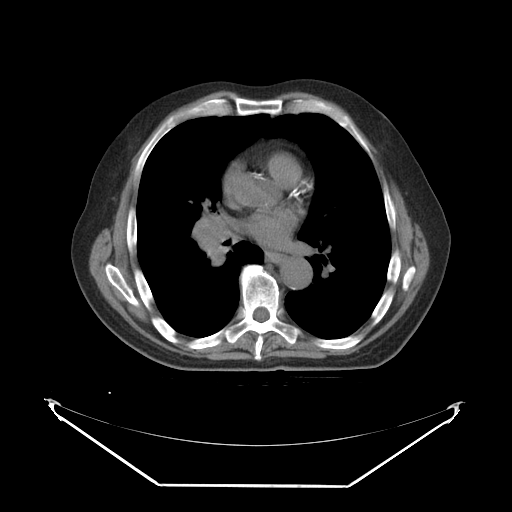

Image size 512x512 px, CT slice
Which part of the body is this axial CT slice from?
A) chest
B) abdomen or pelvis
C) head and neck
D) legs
Answer: A) chest
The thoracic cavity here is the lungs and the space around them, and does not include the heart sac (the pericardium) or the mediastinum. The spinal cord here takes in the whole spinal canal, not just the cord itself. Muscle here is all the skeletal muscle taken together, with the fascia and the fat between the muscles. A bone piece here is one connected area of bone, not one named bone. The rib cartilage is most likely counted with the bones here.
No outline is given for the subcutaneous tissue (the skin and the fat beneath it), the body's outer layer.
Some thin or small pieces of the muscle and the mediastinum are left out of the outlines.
The torso is outlined by 292,78 323,79 359,93 390,119 407,142 443,209 451,234 448,262 435,299 400,351 373,368 196,371 153,361 125,344 100,321 74,275 72,232 84,208 94,170 126,123 149,102 170,91 210,80 269,84. The bones appear in 11 outlined pieces: piece 1: 246,264 260,264 275,278 285,317 300,328 302,334 291,344 272,330 265,332 260,360 254,358 258,335 252,330 246,331 233,343 224,338 217,345 189,348 186,345 189,341 217,332 235,315 241,302 239,275, around a hole outlined by 259,307 262,307 263,308 265,308 267,310 267,311 268,312 268,318 267,319 266,319 265,320 264,320 263,321 258,321 257,320 256,320 253,317 253,314 254,313 254,311 257,308 258,308; piece 2: 233,95 255,100 281,99 284,104 294,99 315,99 330,104 348,116 373,158 370,158 348,131 323,113 206,115 180,122 157,142 145,161 138,186 134,180 137,161 164,121 171,115 208,99 226,98 230,100; piece 3: 107,263 110,263 112,264 119,270 122,276 124,278 126,283 132,290 132,292 134,296 138,301 139,303 139,305 138,306 136,306 127,301 127,300 119,291 119,290 112,285 108,280 108,278 105,272 105,266; piece 4: 352,334 354,334 355,335 356,334 362,334 363,335 363,338 355,345 348,348 345,348 344,349 322,348 316,345 313,342 313,339 316,337 317,338 321,338 322,339 339,339 340,338 343,338 344,337 349,336; piece 5: 136,268 139,268 141,270 148,284 148,286 151,291 151,293 153,296 154,302 153,302 151,304 151,309 150,310 147,309 147,308 143,303 140,297 139,292 137,289 137,286 136,285 135,279 134,278 134,270; piece 6: 131,206 133,206 135,207 135,216 136,217 136,229 137,230 136,231 137,232 137,241 136,242 136,252 132,255 131,255 129,252 129,250 128,249 128,246 127,245 127,238 126,237 127,218 128,217 128,212; piece 7: 387,289 392,289 394,291 394,294 393,295 393,298 391,301 391,303 388,309 386,311 385,314 382,317 382,318 375,325 372,326 371,325 372,323 372,319 370,317 370,316 374,308 379,301 383,292; piece 8: 153,316 160,316 162,317 164,319 164,320 173,329 174,329 176,331 177,333 176,336 179,340 179,342 178,343 176,343 175,344 172,342 170,342 160,334 160,333 155,328 155,327 153,325 151,321 151,318; piece 9: 384,183 386,183 387,185 389,191 389,194 393,202 393,205 395,209 395,229 394,230 390,229 387,220 387,216 385,210 385,205 384,204 384,198 383,197 383,191 382,190 383,189 383,185; piece 10: 395,249 398,249 399,251 399,253 400,254 400,260 401,261 401,265 400,266 400,270 399,271 399,274 398,275 397,280 395,283 393,283 391,281 387,281 387,272 388,271 388,266 389,265 391,254; piece 11: 412,265 415,267 415,272 413,275 413,277 412,278 411,281 409,283 409,285 408,286 408,288 406,290 404,290 402,288 402,281 403,280 403,276 404,275 404,274 405,273 406,270 410,266 411,266. The mediastinum appears in 3 outlined pieces: piece 1: 220,199 221,207 219,210 221,216 229,228 240,238 245,238 255,244 275,245 290,241 298,231 299,249 313,271 312,283 304,289 289,291 283,299 276,278 262,265 263,251 247,240 236,241 223,226 217,208; piece 2: 265,131 263,137 266,139 270,138 285,138 298,144 305,151 312,165 314,171 314,176 312,166 305,154 297,146 281,139 262,140 256,143 232,159 228,163 224,171 224,168 228,160 236,152 250,144; piece 3: 269,115 272,115 273,116 276,116 275,116 273,118 273,119 272,120 272,121 270,123 270,124 268,126 268,127 266,130 266,129 267,128 267,127 268,126 268,125 270,122 270,116. The spinal cord is outlined by 259,307 262,307 263,308 265,308 267,310 267,311 268,312 268,318 267,319 266,319 265,320 264,320 263,321 258,321 257,320 256,320 253,317 253,314 254,313 254,311 257,308 258,308. The thoracic cavity appears in 2 outlined pieces: piece 1: 256,114 268,114 269,122 258,137 227,160 216,208 222,226 236,242 247,241 262,251 262,263 246,263 241,267 238,275 240,302 224,326 201,337 178,333 156,305 138,259 136,205 144,166 158,142 186,120; piece 2: 301,113 329,117 365,151 381,187 389,228 391,253 383,291 369,318 353,333 339,338 317,337 303,330 290,321 281,303 289,292 313,283 314,271 300,249 298,233 309,211 316,178 298,143 264,135 278,115. The muscle appears in 2 outlined pieces: piece 1: 220,90 233,91 241,96 233,94 230,96 230,99 226,97 208,98 171,114 163,121 141,151 134,167 133,180 138,187 136,204 135,206 131,205 127,212 126,245 131,256 136,253 137,255 139,267 133,270 133,278 139,297 147,310 150,311 152,309 153,303 157,307 161,316 153,315 150,321 163,338 175,345 180,342 178,334 189,336 193,338 185,345 191,350 200,350 217,346 224,339 228,343 233,344 246,332 252,331 257,335 254,341 254,359 208,360 182,355 156,344 134,329 106,301 97,287 88,266 91,246 101,230 110,224 135,153 171,111; inner edge: 107,263 110,263 112,264 119,270 122,276 124,278 126,283 132,290 132,292 134,296 138,301 139,303 139,305 138,306 136,306 127,301 127,300 119,291 119,290 112,285 108,280 108,278 105,272 105,266; piece 2: 290,91 301,91 320,96 339,105 348,113 377,150 397,185 409,213 421,227 429,251 427,273 419,292 405,314 380,338 359,351 337,358 272,358 261,360 264,334 272,331 292,345 304,331 314,336 312,342 322,349 344,350 359,343 364,338 364,335 354,333 370,318 370,325 375,326 386,314 394,298 395,291 392,288 384,289 387,282 393,284 397,282 402,265 399,249 395,248 392,251 390,234 390,230 394,231 396,229 396,209 387,183 383,183 382,189 372,162 374,158 372,152 349,116 336,106 320,99 294,98 284,103 281,98 272,98 with a hole at 412,265 415,267 415,272 413,275 413,277 412,278 411,281 409,283 409,285 408,286 408,288 406,290 404,290 402,288 402,281 403,280 403,276 404,275 404,274 405,273 406,270 410,266 411,266. The pericardium is outlined by 270,140 281,140 292,144 304,154 313,172 314,190 309,200 310,201 305,219 295,235 286,242 275,244 260,244 255,243 245,237 240,237 226,223 220,210 222,207 222,178 224,172 232,160 256,144 262,141.